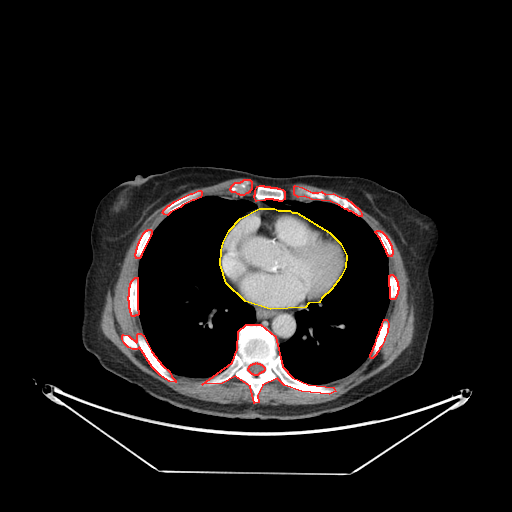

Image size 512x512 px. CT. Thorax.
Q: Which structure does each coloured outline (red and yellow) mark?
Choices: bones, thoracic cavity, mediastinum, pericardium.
A: red: bones; yellow: pericardium.
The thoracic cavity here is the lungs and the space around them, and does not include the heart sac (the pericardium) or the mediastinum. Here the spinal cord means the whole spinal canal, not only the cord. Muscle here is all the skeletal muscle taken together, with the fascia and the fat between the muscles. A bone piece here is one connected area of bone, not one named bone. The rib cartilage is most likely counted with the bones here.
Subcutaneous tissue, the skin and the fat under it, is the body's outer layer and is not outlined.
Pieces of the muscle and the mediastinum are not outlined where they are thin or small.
{"bones":[{"outer":[[246,324],[260,324],[275,336],[282,366],[292,377],[308,384],[333,387],[335,391],[329,394],[301,391],[284,385],[277,378],[262,385],[257,395],[258,402],[254,403],[250,386],[235,376],[222,383],[202,384],[232,362],[237,349],[238,331]],"hole":[[256,362],[257,363],[259,363],[260,364],[261,364],[264,367],[264,370],[262,372],[261,372],[260,373],[259,373],[257,375],[254,375],[253,374],[252,374],[248,370],[248,368],[249,367],[249,366],[251,364],[252,364],[253,363],[255,363]]},[[138,333],[140,333],[143,335],[151,351],[162,365],[169,371],[171,376],[175,380],[175,382],[169,381],[160,375],[152,367],[139,347],[136,349],[132,349],[128,347],[124,343],[122,339],[122,335],[123,334],[128,335],[136,342],[137,341],[137,334]],[[295,185],[302,187],[312,192],[318,192],[321,191],[325,194],[333,193],[341,197],[346,198],[359,209],[361,213],[361,216],[359,216],[351,211],[349,211],[347,209],[345,209],[339,205],[330,201],[311,199],[304,196],[298,197],[294,194],[294,186]],[[259,185],[263,185],[264,186],[269,186],[270,187],[276,187],[277,188],[280,188],[282,189],[284,191],[284,199],[281,201],[279,201],[278,200],[274,200],[273,199],[265,199],[264,200],[256,201],[254,197],[254,195],[255,194],[255,190],[257,186]],[[198,190],[200,190],[201,191],[201,195],[200,197],[194,200],[192,200],[182,205],[180,207],[170,212],[167,215],[164,214],[162,212],[163,210],[168,205],[169,205],[174,201],[190,193],[192,193]],[[135,277],[137,277],[137,309],[138,310],[138,314],[137,315],[135,315],[134,316],[132,316],[131,315],[131,313],[130,312],[130,309],[129,308],[129,301],[128,300],[128,296],[129,295],[129,287],[130,286],[130,283],[131,282],[131,281]],[[384,319],[386,319],[388,323],[387,332],[384,338],[384,340],[381,346],[379,348],[378,351],[376,353],[376,354],[372,358],[371,358],[370,357],[370,354],[373,349],[373,347],[375,344],[377,336],[379,333],[380,328],[382,325],[382,323]],[[244,179],[249,179],[251,181],[251,189],[249,191],[249,192],[248,192],[247,193],[246,193],[243,195],[240,195],[239,194],[238,194],[235,192],[232,192],[230,190],[230,188],[231,187],[231,186],[235,182],[240,182],[241,181],[242,181]],[[148,229],[150,229],[151,230],[151,234],[150,235],[150,236],[141,253],[141,255],[140,256],[140,257],[139,258],[136,258],[136,257],[135,256],[135,253],[136,252],[136,249],[137,248],[138,243],[139,242],[143,233],[146,230],[147,230]],[[377,230],[379,230],[380,231],[381,231],[386,236],[386,237],[388,239],[388,240],[391,245],[391,248],[392,249],[392,254],[391,255],[391,256],[388,256],[388,255],[386,252],[386,250],[385,249],[380,238],[375,232],[375,231],[376,231]],[[391,274],[392,274],[395,277],[395,278],[396,279],[396,280],[397,281],[397,285],[398,286],[398,290],[397,291],[397,294],[396,295],[396,296],[395,297],[395,298],[394,299],[391,299],[390,298],[390,287],[389,286],[389,275],[390,275]]],"pericardium":[[[259,208],[274,208],[278,210],[289,210],[292,212],[296,212],[329,232],[340,243],[346,255],[345,267],[340,277],[331,289],[321,298],[319,302],[308,303],[305,307],[270,309],[245,301],[226,283],[220,264],[221,250],[223,242],[229,230],[240,218]]],"spinal_cord":[[[256,362],[257,363],[259,363],[260,364],[261,364],[264,367],[264,370],[262,372],[261,372],[260,373],[259,373],[257,375],[254,375],[253,374],[252,374],[248,370],[248,368],[249,367],[249,366],[251,364],[252,364],[253,363],[255,363]]],"mediastinum":[[[250,304],[270,310],[276,309],[294,309],[295,308],[305,308],[308,304],[311,304],[308,306],[307,308],[308,309],[305,309],[304,308],[302,308],[301,309],[297,310],[295,312],[295,320],[296,321],[295,332],[289,339],[281,342],[279,344],[276,336],[266,326],[264,326],[260,323],[254,323],[256,320],[256,312],[254,307]],[[237,196],[241,197],[242,196],[251,196],[254,198],[256,202],[263,201],[273,207],[278,207],[279,208],[289,208],[295,211],[292,211],[289,209],[278,209],[277,208],[275,208],[274,207],[259,207],[257,209],[246,213],[246,212],[250,210],[253,210],[256,208],[255,203],[250,200],[247,200]]],"thoracic_cavity":[[[204,196],[236,196],[255,205],[255,208],[246,211],[228,230],[222,242],[219,260],[224,282],[253,307],[255,320],[238,329],[236,349],[231,362],[222,371],[207,378],[189,377],[170,372],[149,346],[144,336],[138,309],[139,262],[152,232],[170,213]],[[293,199],[330,202],[361,217],[379,238],[388,258],[390,299],[370,353],[353,371],[324,384],[292,376],[283,366],[278,348],[296,332],[296,312],[308,310],[315,303],[321,305],[322,298],[344,272],[347,255],[339,240],[314,221],[294,209],[264,201]]],"torso":[[[181,166],[214,166],[273,177],[360,176],[401,193],[413,207],[430,216],[437,224],[439,241],[429,267],[434,313],[420,367],[411,376],[348,407],[298,419],[230,418],[191,411],[158,399],[105,369],[81,339],[95,209],[118,184],[138,174],[147,176]]],"muscle":[[[235,178],[246,178],[235,181],[229,188],[232,193],[239,195],[201,196],[202,191],[200,189],[195,190],[168,204],[161,212],[165,217],[157,226],[152,231],[148,228],[142,233],[134,253],[135,258],[139,259],[137,276],[135,276],[129,283],[127,300],[130,315],[132,317],[138,315],[143,334],[138,332],[136,334],[136,341],[128,334],[123,333],[121,339],[128,348],[132,350],[139,348],[151,367],[169,382],[176,382],[171,373],[189,378],[205,379],[201,382],[204,386],[222,384],[235,377],[249,386],[252,391],[251,401],[253,403],[219,403],[193,398],[177,392],[132,363],[105,336],[100,326],[107,292],[113,290],[119,277],[125,255],[145,219],[156,209],[190,190]],[[360,209],[379,222],[394,241],[402,258],[408,278],[408,301],[414,307],[414,332],[410,344],[387,367],[332,400],[297,405],[258,404],[258,395],[263,385],[277,379],[284,386],[297,391],[332,394],[336,388],[325,384],[347,376],[369,355],[372,359],[382,346],[389,326],[385,318],[386,312],[390,300],[396,298],[399,286],[396,277],[392,273],[389,274],[388,257],[393,254],[389,239],[381,230],[374,231],[362,217]],[[296,183],[302,183],[303,184],[306,184],[307,185],[314,186],[318,188],[330,190],[333,192],[335,192],[343,196],[341,196],[333,192],[329,192],[328,193],[325,193],[321,190],[319,190],[318,191],[312,191],[302,186],[300,186],[299,185],[295,184],[293,186],[293,194],[298,198],[302,198],[303,197],[307,198],[290,198],[289,199],[285,199],[285,191],[282,188],[281,188],[286,185],[288,185],[289,184],[295,184]],[[250,179],[256,181],[259,184],[256,186],[256,187],[254,190],[254,194],[253,195],[253,196],[252,196],[251,195],[244,195],[245,195],[246,194],[249,193],[250,192],[250,191],[252,189],[252,181]]]}